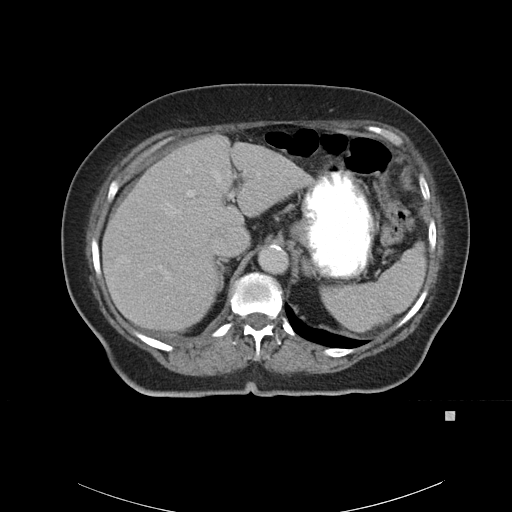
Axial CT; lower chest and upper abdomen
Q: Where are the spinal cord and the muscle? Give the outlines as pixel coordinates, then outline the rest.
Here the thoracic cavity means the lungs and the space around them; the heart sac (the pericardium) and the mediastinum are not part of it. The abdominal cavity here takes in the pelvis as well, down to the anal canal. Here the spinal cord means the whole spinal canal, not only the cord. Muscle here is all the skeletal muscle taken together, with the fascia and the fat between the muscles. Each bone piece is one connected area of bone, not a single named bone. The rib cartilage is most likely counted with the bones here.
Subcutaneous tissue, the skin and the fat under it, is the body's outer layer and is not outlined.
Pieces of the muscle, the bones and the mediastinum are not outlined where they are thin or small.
A: {"spinal_cord":[[[252,313],[261,313],[262,314],[264,314],[266,315],[269,318],[271,322],[265,325],[260,329],[256,329],[252,327],[249,324],[246,323],[244,321],[244,319],[245,317],[247,315],[249,314],[251,314]]],"muscle":[{"outer":[[317,119],[319,120],[365,119],[366,120],[375,120],[391,125],[399,129],[409,137],[414,146],[419,151],[426,162],[432,174],[435,184],[436,194],[440,201],[440,206],[443,218],[442,221],[445,227],[444,254],[443,255],[444,259],[441,263],[442,267],[438,274],[438,280],[435,287],[434,297],[428,310],[413,332],[404,339],[399,341],[395,345],[391,346],[374,355],[364,357],[345,369],[335,372],[322,373],[321,374],[305,374],[301,372],[300,373],[292,373],[289,375],[288,374],[281,374],[269,371],[256,362],[251,363],[243,369],[237,370],[232,373],[227,373],[224,375],[209,375],[208,376],[184,375],[174,372],[166,368],[159,363],[147,351],[138,347],[122,336],[108,322],[99,309],[98,302],[91,290],[91,284],[89,281],[90,272],[85,254],[86,227],[88,223],[90,210],[101,185],[109,174],[111,169],[133,147],[140,142],[158,132],[170,128],[192,127],[193,126],[203,126],[204,125],[213,125],[214,124],[222,124],[223,123],[236,123],[243,121],[258,121],[259,120],[316,120]],"holes":[[[276,124],[382,139],[385,138],[381,135],[365,128],[372,125],[402,139],[397,146],[414,176],[417,179],[421,173],[427,182],[426,217],[428,222],[431,218],[434,220],[436,230],[435,247],[429,252],[423,286],[427,295],[420,308],[401,326],[395,324],[338,357],[324,354],[325,345],[286,332],[281,320],[285,314],[283,308],[274,321],[273,330],[281,343],[278,344],[273,335],[265,335],[256,357],[254,339],[243,334],[242,320],[232,312],[228,299],[202,333],[169,341],[173,347],[170,351],[142,341],[133,334],[136,329],[114,307],[104,280],[96,275],[93,265],[91,241],[93,237],[100,241],[112,203],[107,200],[110,183],[118,177],[120,189],[152,162],[209,134]],[[169,137],[171,138],[162,146],[158,148],[155,151],[154,151],[152,153],[145,157],[142,160],[141,160],[133,166],[128,167],[131,163],[131,162],[140,153],[141,153],[144,150],[145,150],[150,146],[153,145],[155,143],[165,138],[168,138]],[[227,322],[232,322],[233,323],[233,324],[232,325],[232,326],[227,331],[227,332],[225,334],[224,334],[221,336],[216,336],[215,337],[214,337],[211,335],[211,334],[213,331],[214,331],[217,328],[218,328],[221,325],[222,325],[223,324],[224,324]]]}],"mediastinum":[[[268,244],[275,244],[282,248],[286,249],[291,257],[289,274],[288,275],[288,279],[286,285],[286,303],[284,303],[283,301],[283,290],[280,283],[272,276],[260,271],[251,271],[245,273],[239,277],[241,272],[246,266],[250,258],[254,253],[259,248]]],"thoracic_cavity":[[[284,304],[287,304],[292,310],[293,313],[304,324],[310,328],[324,330],[332,334],[336,334],[340,336],[344,336],[356,340],[369,340],[369,341],[356,347],[330,347],[306,339],[298,334],[290,324],[284,312],[284,309],[283,308]]],"abdominal_cavity":[[[276,124],[381,138],[403,152],[417,179],[428,222],[429,267],[414,303],[372,339],[310,327],[287,303],[292,257],[286,248],[268,243],[249,258],[229,300],[199,335],[165,342],[137,330],[114,307],[102,277],[100,236],[118,191],[152,162],[188,142]]],"bones":[{"outer":[[251,272],[260,272],[275,279],[282,290],[283,302],[282,310],[274,321],[273,330],[278,334],[281,343],[278,344],[273,335],[265,335],[260,342],[258,357],[255,355],[253,337],[249,334],[243,334],[242,320],[232,312],[230,305],[232,287],[235,281]],"hole":[[252,313],[261,313],[262,314],[264,314],[266,315],[269,318],[271,322],[265,325],[260,329],[256,329],[252,327],[249,324],[246,323],[244,321],[244,319],[245,317],[247,315],[249,314],[251,314]]},[[134,330],[136,330],[147,336],[152,337],[155,339],[157,339],[160,341],[167,343],[171,345],[173,348],[172,350],[170,351],[165,351],[164,350],[161,350],[158,348],[153,347],[147,344],[145,342],[142,341],[139,338],[134,335],[133,334],[133,331]],[[369,125],[378,126],[381,128],[383,128],[384,129],[386,129],[393,132],[395,134],[398,135],[402,139],[403,141],[402,143],[400,145],[395,145],[389,140],[386,139],[381,135],[377,133],[375,133],[372,131],[369,131],[367,130],[365,128],[365,127]],[[424,289],[427,289],[427,295],[423,303],[421,305],[420,308],[405,323],[404,323],[401,326],[399,327],[396,327],[396,325],[397,323],[399,322],[400,320],[402,319],[402,318],[412,307],[412,306],[415,303],[416,300]],[[169,137],[171,138],[162,146],[158,148],[155,151],[154,151],[152,153],[145,157],[142,160],[141,160],[133,166],[128,167],[131,163],[131,162],[140,153],[141,153],[144,150],[145,150],[150,146],[153,145],[155,143],[165,138],[168,138]],[[93,237],[96,238],[98,242],[98,246],[99,247],[99,262],[100,263],[100,268],[101,269],[101,276],[100,277],[98,277],[96,275],[96,273],[94,269],[94,266],[93,265],[93,259],[92,258],[92,249],[91,248],[91,241]],[[327,347],[329,347],[330,348],[354,348],[354,350],[352,352],[351,352],[348,354],[346,354],[345,355],[343,355],[342,356],[339,356],[338,357],[333,357],[332,356],[329,356],[328,355],[326,355],[323,353],[323,350],[325,348],[326,348]],[[431,218],[432,218],[434,220],[434,222],[435,223],[435,229],[436,230],[436,237],[435,238],[435,247],[434,248],[434,250],[433,250],[432,251],[430,251],[430,245],[429,244],[429,240],[428,239],[428,225],[429,224],[429,221],[430,220],[430,219]],[[420,173],[423,174],[423,175],[427,182],[427,184],[428,185],[428,188],[429,189],[429,199],[428,200],[425,200],[423,198],[423,196],[422,195],[422,193],[421,192],[421,190],[420,189],[420,187],[419,186],[419,184],[418,183],[418,176]],[[117,177],[118,177],[119,178],[119,188],[118,189],[118,190],[117,191],[117,192],[116,193],[113,200],[111,202],[108,202],[108,201],[107,200],[107,194],[108,193],[108,190],[109,189],[109,185],[112,181],[112,180],[113,180]],[[227,322],[232,322],[233,323],[233,324],[232,325],[232,326],[227,331],[227,332],[225,334],[224,334],[221,336],[216,336],[215,337],[214,337],[211,335],[211,334],[213,331],[214,331],[217,328],[218,328],[221,325],[222,325],[223,324],[224,324]],[[283,315],[285,315],[285,316],[286,317],[289,324],[291,326],[291,327],[293,329],[293,330],[296,333],[296,334],[295,335],[291,335],[290,334],[289,334],[287,332],[286,332],[283,329],[283,328],[282,327],[282,321],[281,320],[281,316],[282,316]]],"torso":[[[221,83],[313,83],[379,93],[415,114],[451,161],[466,194],[470,219],[463,281],[453,309],[420,365],[398,385],[342,395],[260,397],[249,392],[153,397],[136,391],[114,371],[75,308],[62,265],[61,218],[79,164],[110,129],[144,103],[172,91]]]}